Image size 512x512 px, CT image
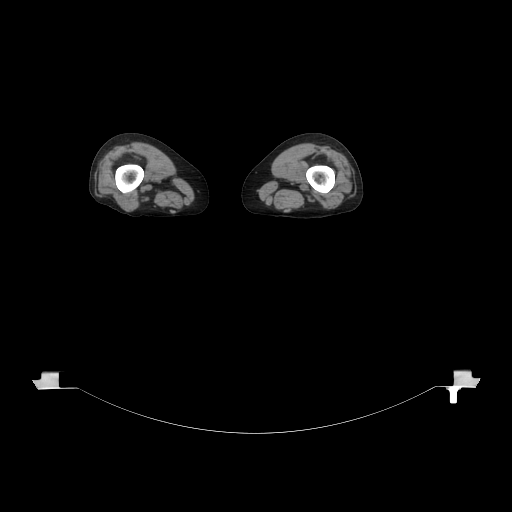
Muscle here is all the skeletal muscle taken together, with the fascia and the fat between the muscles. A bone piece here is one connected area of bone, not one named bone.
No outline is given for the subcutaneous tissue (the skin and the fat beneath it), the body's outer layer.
muscle 1: 305 142; 319 142; 326 144; 342 153; 346 157; 353 168; 355 174; 356 184; 355 196; 349 200; 346 200; 338 207; 328 210; 301 209; 291 212; 283 212; 267 207; 259 199; 257 189; 271 178; 271 173; 269 168; 273 160; 286 148 with a hole at 315 164; 325 164; 326 165; 328 165; 330 166; 334 170; 335 172; 335 183; 333 187; 328 192; 326 193; 321 193; 315 190; 309 184; 309 183; 306 179; 306 176; 305 175; 305 172; 306 170; 310 166; 312 165; 314 165
muscle 2: 133 141; 141 141; 151 144; 170 158; 176 167; 177 175; 184 179; 194 190; 195 199; 189 206; 174 213; 167 213; 143 208; 134 211; 125 211; 112 200; 105 197; 99 197; 95 194; 94 173; 97 168; 98 162; 112 146; 119 143, around a hole outlined by 125 163; 136 163; 140 165; 143 168; 143 170; 144 171; 144 175; 143 176; 143 178; 141 182; 136 188; 135 188; 133 190; 129 192; 123 193; 121 192; 117 188; 116 186; 116 184; 115 183; 115 170; 118 166; 122 164; 124 164
left leg: 304 132; 322 132; 331 135; 339 140; 351 152; 358 164; 363 181; 364 193; 360 205; 351 212; 315 219; 297 219; 296 218; 275 217; 268 215; 259 215; 249 212; 243 206; 241 201; 241 187; 247 174; 258 162; 282 141; 291 136
bones 1: 125 163; 136 163; 140 165; 143 168; 143 170; 144 171; 144 175; 143 176; 143 178; 141 182; 136 188; 135 188; 133 190; 129 192; 123 193; 121 192; 117 188; 116 186; 116 184; 115 183; 115 170; 118 166; 122 164; 124 164
bones 2: 315 164; 325 164; 326 165; 328 165; 330 166; 334 170; 335 172; 335 183; 333 187; 328 192; 326 193; 321 193; 315 190; 309 184; 309 183; 306 179; 306 176; 305 175; 305 172; 306 170; 310 166; 312 165; 314 165
right leg: 122 132; 139 132; 157 138; 167 144; 194 165; 203 174; 208 185; 209 203; 206 209; 196 215; 187 215; 177 217; 149 217; 148 216; 131 217; 119 213; 105 205; 99 204; 94 201; 88 191; 89 170; 93 157; 100 146; 107 139